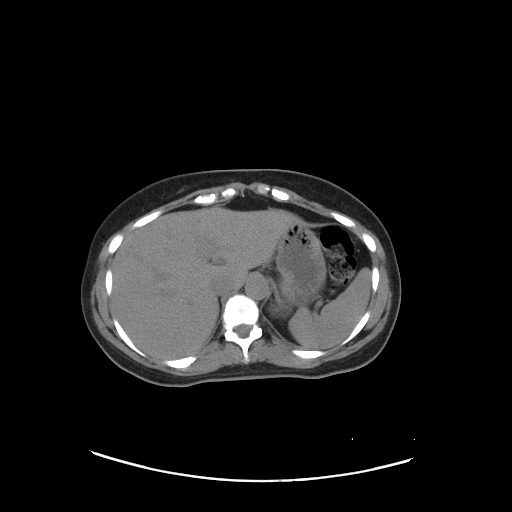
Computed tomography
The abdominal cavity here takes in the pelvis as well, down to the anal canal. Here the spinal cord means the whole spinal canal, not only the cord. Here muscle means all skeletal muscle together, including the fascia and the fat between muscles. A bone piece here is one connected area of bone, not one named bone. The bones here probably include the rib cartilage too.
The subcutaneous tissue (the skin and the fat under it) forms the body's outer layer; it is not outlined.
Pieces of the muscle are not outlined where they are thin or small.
{"spinal_cord":[[[241,324],[246,324],[247,325],[250,325],[251,326],[251,328],[250,329],[250,330],[249,331],[249,332],[248,333],[248,334],[246,336],[244,336],[243,337],[242,336],[240,336],[234,330],[234,328],[236,326],[237,326],[238,325],[240,325]]],"torso":[[[246,168],[288,169],[319,176],[352,193],[380,219],[391,238],[401,278],[400,307],[386,345],[371,362],[360,368],[317,379],[278,377],[169,387],[147,382],[121,369],[107,357],[89,333],[80,305],[81,278],[96,229],[116,205],[156,180],[194,171]]],"mediastinum":[[[253,272],[258,272],[263,275],[265,280],[267,282],[267,284],[269,286],[269,292],[267,296],[267,299],[265,301],[265,303],[261,309],[259,308],[257,303],[251,297],[243,293],[234,293],[232,295],[229,296],[230,294],[235,289],[236,289],[251,273]],[[266,197],[277,202],[289,203],[305,208],[322,217],[327,218],[330,220],[334,220],[336,222],[341,224],[330,223],[329,224],[316,224],[313,225],[309,223],[303,222],[300,219],[296,217],[295,215],[287,211],[280,210],[271,206],[269,204]]],"bones":[{"outer":[[234,294],[243,294],[251,298],[256,303],[259,309],[258,323],[262,329],[262,335],[253,340],[249,345],[247,350],[249,361],[247,363],[245,363],[243,361],[243,352],[241,347],[233,341],[225,340],[224,329],[222,327],[222,313],[226,301],[229,297]],"hole":[[241,324],[246,324],[247,325],[250,325],[251,326],[251,328],[250,329],[250,330],[249,331],[249,332],[248,333],[248,334],[246,336],[244,336],[243,337],[242,336],[240,336],[234,330],[234,328],[236,326],[237,326],[238,325],[240,325]]},[[229,187],[232,187],[237,191],[237,193],[231,198],[224,199],[221,197],[219,197],[218,200],[216,202],[210,204],[196,204],[192,202],[193,199],[198,195],[203,195],[209,193],[216,193],[219,194],[224,189]],[[260,184],[266,184],[270,187],[273,187],[277,189],[280,189],[286,192],[290,196],[290,198],[286,201],[278,201],[274,199],[269,192],[268,192],[265,195],[263,194],[260,194],[259,193],[257,193],[256,191],[256,189],[257,188],[257,186]],[[113,318],[116,318],[116,319],[119,322],[120,325],[122,327],[128,337],[131,340],[131,341],[142,352],[143,352],[146,355],[146,356],[142,356],[137,353],[128,345],[127,345],[125,343],[125,342],[118,335],[117,330],[113,322]],[[191,355],[194,355],[196,357],[196,359],[192,363],[191,363],[185,368],[174,368],[173,367],[168,366],[167,365],[164,364],[162,362],[162,361],[163,360],[172,360],[173,359],[178,359],[179,358],[183,358],[184,357],[186,357],[187,356],[190,356]],[[367,310],[369,310],[370,312],[370,315],[369,316],[369,318],[367,320],[366,323],[361,329],[361,330],[355,336],[354,336],[346,343],[344,344],[340,344],[340,343],[349,335],[349,334],[352,331],[352,330],[354,328],[356,324],[359,321],[361,317]],[[158,209],[161,209],[162,210],[162,213],[160,215],[159,215],[155,219],[154,219],[139,227],[132,228],[132,225],[133,224],[133,223],[134,223],[135,222],[135,221],[136,220],[137,220],[140,217],[141,217],[148,213],[150,213],[153,211],[155,211]],[[293,349],[300,349],[301,350],[323,350],[324,351],[325,351],[326,352],[326,353],[323,355],[321,355],[318,357],[315,357],[314,358],[302,358],[301,357],[300,357],[299,356],[298,356],[297,355],[296,355],[295,354],[294,354],[292,352],[292,350]],[[332,211],[334,211],[335,212],[337,212],[338,213],[340,213],[341,214],[342,214],[343,215],[348,217],[350,219],[351,219],[355,223],[355,226],[354,227],[348,227],[347,226],[346,226],[345,225],[343,225],[341,223],[336,221],[330,215],[330,213]],[[117,233],[120,233],[121,234],[122,234],[123,235],[123,239],[122,240],[121,243],[117,248],[117,249],[112,254],[111,254],[110,253],[108,253],[108,247],[109,246],[109,244],[110,243],[110,242],[111,241],[112,238]],[[362,233],[367,233],[368,234],[369,234],[372,237],[372,238],[374,240],[374,241],[375,242],[375,245],[376,246],[376,249],[374,252],[371,252],[368,249],[368,248],[366,246],[366,245],[362,240],[362,239],[361,238],[361,235],[362,234]],[[373,266],[376,266],[377,267],[377,268],[378,269],[378,271],[379,272],[379,280],[378,281],[378,284],[377,285],[377,288],[376,289],[376,290],[375,291],[375,292],[374,293],[373,293],[372,292],[372,268],[373,267]],[[107,269],[110,269],[111,270],[111,277],[112,278],[112,283],[111,284],[111,293],[110,294],[110,295],[108,295],[107,294],[107,292],[106,291],[106,288],[105,287],[105,275],[106,274],[106,271],[107,270]]],"muscle":[[[230,182],[266,183],[258,184],[255,189],[256,193],[245,192],[235,196],[238,191],[229,186],[219,193],[198,194],[192,199],[192,203],[163,213],[163,210],[158,208],[140,216],[132,223],[131,228],[133,229],[125,237],[122,233],[117,232],[107,247],[107,253],[113,255],[111,268],[107,268],[105,271],[104,287],[109,296],[109,308],[117,335],[140,356],[146,357],[147,355],[162,360],[164,365],[174,369],[185,369],[197,359],[194,354],[211,341],[221,320],[224,340],[233,342],[240,347],[242,361],[247,364],[226,365],[210,372],[189,376],[176,375],[145,366],[108,341],[100,333],[93,319],[90,305],[91,286],[96,260],[103,244],[117,229],[142,213],[195,190]],[[343,214],[357,220],[373,232],[385,252],[392,298],[389,316],[383,329],[358,350],[314,367],[288,367],[265,361],[248,363],[250,345],[263,335],[259,323],[260,313],[282,338],[296,347],[305,349],[291,350],[302,359],[318,358],[327,353],[324,350],[327,348],[346,344],[367,323],[371,315],[368,306],[380,280],[379,269],[373,265],[371,255],[377,246],[369,233],[362,232],[360,237],[350,229],[354,228],[356,223]],[[267,184],[287,188],[307,199],[315,201],[330,209],[340,212],[332,210],[329,213],[329,215],[333,219],[330,219],[327,217],[322,216],[305,207],[289,202],[282,202],[286,202],[288,201],[291,198],[291,196],[286,191],[280,188],[270,186]]],"abdominal_cavity":[[[245,193],[265,197],[271,207],[303,223],[342,225],[355,233],[371,256],[367,309],[339,343],[325,349],[296,346],[260,312],[270,286],[253,271],[229,294],[210,341],[201,349],[172,359],[146,354],[110,308],[114,253],[132,230],[170,210],[226,203]]]}